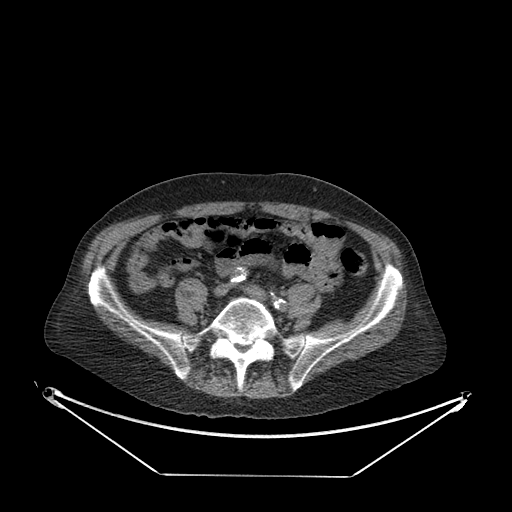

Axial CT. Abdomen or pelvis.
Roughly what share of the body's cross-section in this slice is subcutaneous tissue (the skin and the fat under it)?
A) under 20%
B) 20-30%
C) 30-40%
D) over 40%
Answer: C) 30-40%
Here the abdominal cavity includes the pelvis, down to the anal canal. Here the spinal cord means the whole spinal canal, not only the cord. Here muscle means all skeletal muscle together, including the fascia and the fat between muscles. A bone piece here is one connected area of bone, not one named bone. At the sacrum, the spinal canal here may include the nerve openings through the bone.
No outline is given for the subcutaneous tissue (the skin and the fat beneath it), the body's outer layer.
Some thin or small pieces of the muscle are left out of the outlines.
spinal cord: 235,344 239,344 240,345 241,345 242,346 246,346 247,345 248,345 249,346 249,347 247,349 247,350 246,350 245,351 244,351 243,352 242,352 241,351 240,351 235,346
torso: 216,171 292,172 313,176 355,194 395,223 415,252 425,288 444,331 447,352 443,364 433,373 396,389 316,415 210,419 139,401 52,352 44,342 44,322 62,287 74,250 87,229 115,204 149,185 186,174
muscle 1: 217,201 269,201 307,206 330,212 342,219 380,232 391,239 403,256 407,280 405,315 402,327 396,336 358,359 348,359 338,363 303,385 311,370 326,355 366,332 386,317 395,306 399,292 403,288 403,276 392,263 384,264 372,303 362,321 354,327 325,337 303,332 283,336 280,331 288,326 286,333 291,334 296,320 287,316 286,309 286,290 293,285 309,284 319,292 320,305 306,327 308,331 311,331 337,319 348,322 366,302 375,286 378,273 370,244 349,227 286,217 263,211 258,207 246,207 233,213 161,219 130,236 119,252 111,276 117,291 127,306 144,319 181,325 182,322 178,318 175,303 175,291 178,284 186,278 195,278 206,287 207,303 203,312 196,313 198,317 196,332 164,330 135,318 118,298 107,269 101,263 97,264 89,274 88,299 80,280 81,264 89,244 100,231 113,223 136,216 165,213 186,205
muscle 2: 208,333 214,336 208,355 212,359 227,359 232,363 239,392 244,389 249,365 274,358 277,339 282,352 294,360 287,375 293,393 286,397 269,398 219,397 187,386 178,379 184,381 190,373 187,352 192,353
muscle 3: 92,305 95,308 97,307 104,308 108,312 125,322 134,331 155,345 165,356 173,371 173,373 175,375 170,373 168,371 169,370 163,366 157,357 150,356 138,347 126,342 116,335 97,316
bones: 386,263 402,276 394,306 294,392 295,360 277,338 271,360 246,368 242,391 233,363 209,355 210,332 186,352 182,380 88,295 101,264 124,308 150,327 194,334 241,296 262,303 283,337 325,338 363,321, around a hole outlined by 235,344 239,344 240,345 241,345 242,346 246,346 247,345 248,345 249,346 249,347 247,349 247,350 246,350 245,351 244,351 243,352 242,352 241,351 240,351 235,346
abdominal cavity: 246,208 347,227 369,244 375,283 348,321 308,330 321,305 309,283 285,290 291,333 288,325 279,331 262,302 241,295 198,331 208,289 195,277 174,291 181,324 144,318 128,306 112,272 130,237 161,220